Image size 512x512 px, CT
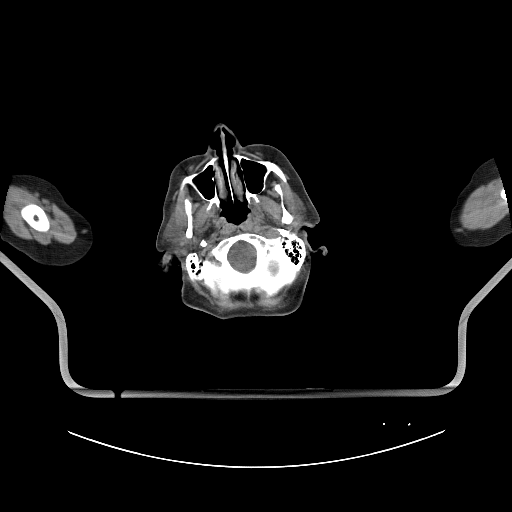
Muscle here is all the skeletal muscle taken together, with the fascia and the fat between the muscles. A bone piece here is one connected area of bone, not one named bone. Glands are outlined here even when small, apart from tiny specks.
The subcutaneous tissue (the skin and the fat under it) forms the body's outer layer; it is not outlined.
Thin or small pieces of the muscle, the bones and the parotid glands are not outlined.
Outlines (x, y in pixels):
bones 1: (279, 227) (295, 232) (303, 240) (306, 255) (294, 280) (276, 294) (266, 297) (263, 293) (252, 293) (247, 297) (231, 293) (224, 297) (213, 294) (201, 280) (190, 279) (185, 269) (188, 253) (196, 252) (201, 257) (224, 237) (240, 232) (273, 238) (279, 234) (276, 230), around a hole outlined by (239, 241) (242, 241) (248, 244) (250, 244) (254, 248) (255, 250) (255, 259) (254, 260) (254, 265) (253, 267) (248, 271) (242, 271) (241, 270) (239, 270) (235, 268) (230, 263) (228, 259) (228, 254) (229, 253) (229, 251) (230, 249) (234, 244) (235, 244)
bones 2: (223, 142) (230, 160) (232, 152) (235, 152) (255, 160) (272, 161) (282, 170) (287, 182) (271, 172) (266, 179) (265, 189) (257, 194) (258, 202) (251, 199) (248, 205) (243, 197) (242, 199) (235, 197) (232, 200) (228, 195) (226, 199) (220, 201) (220, 208) (214, 204) (207, 210) (208, 203) (189, 184) (186, 184) (182, 191) (180, 191) (179, 187) (185, 176) (199, 171) (215, 155) (219, 156) (219, 165) (222, 168) (224, 166) (221, 157); inner edges: (242, 160) (245, 160) (248, 162) (253, 162) (256, 164) (263, 166) (264, 172) (261, 180) (261, 188) (258, 192) (253, 192) (251, 191) (246, 184) (246, 181) (244, 178) (244, 176) (238, 172) (238, 166) (240, 169) (240, 171) (241, 172) (243, 171) (243, 167) (241, 164), then (209, 166) (211, 167) (211, 169) (212, 170) (212, 174) (210, 177) (210, 179) (213, 182) (214, 185) (213, 186) (213, 193) (211, 197) (206, 197) (200, 190) (200, 189) (198, 187) (197, 184) (194, 181) (194, 180) (198, 176) (199, 176) (200, 174) (204, 172)
bones 3: (29, 203) (34, 203) (40, 206) (43, 209) (43, 210) (47, 215) (47, 217) (49, 220) (49, 228) (47, 231) (45, 231) (43, 232) (42, 231) (38, 231) (36, 230) (34, 228) (30, 226) (22, 217) (21, 215) (21, 209) (22, 207) (23, 207) (25, 205)
bones 4: (277, 183) (280, 185) (280, 187) (283, 193) (283, 203) (284, 204) (284, 206) (285, 208) (293, 216) (293, 219) (289, 224) (284, 224) (281, 222) (281, 218) (282, 217) (282, 214) (283, 212) (282, 211) (282, 208) (280, 204) (280, 197) (278, 193) (274, 189) (274, 185)
bones 5: (185, 198) (187, 198) (190, 201) (190, 202) (191, 203) (191, 211) (192, 212) (192, 236) (190, 238) (187, 238) (185, 236) (185, 231) (186, 230) (186, 229) (187, 228) (187, 215) (186, 214) (186, 213) (185, 212) (185, 208) (184, 207) (184, 199)
parotid glands 1: (173, 213) (178, 223) (180, 225) (180, 226) (183, 230) (183, 233) (184, 234) (184, 237) (185, 238) (185, 241) (184, 243) (180, 247) (172, 247) (168, 245) (166, 243) (164, 243) (162, 241) (162, 238) (163, 237) (163, 234) (164, 233) (164, 227) (166, 225) (170, 216)
parotid glands 2: (292, 192) (294, 192) (297, 195) (298, 195) (301, 198) (304, 204) (304, 206) (306, 210) (305, 211) (305, 216) (304, 217) (304, 219) (303, 221) (298, 221) (298, 220) (296, 218) (296, 212) (295, 211) (295, 204) (294, 203) (294, 200) (293, 199)
brain: (239, 241) (242, 241) (248, 244) (250, 244) (254, 248) (255, 250) (255, 259) (254, 260) (254, 265) (253, 267) (248, 271) (242, 271) (241, 270) (239, 270) (235, 268) (230, 263) (228, 259) (228, 254) (229, 253) (229, 251) (230, 249) (234, 244) (235, 244)
muscle 1: (253, 149) (270, 154) (290, 174) (300, 195) (291, 192) (295, 218) (301, 222) (296, 232) (279, 226) (275, 228) (278, 234) (273, 237) (250, 231) (224, 236) (201, 256) (196, 251) (188, 252) (184, 257) (184, 268) (184, 257) (178, 248) (185, 243) (186, 238) (190, 239) (193, 236) (193, 212) (191, 201) (187, 197) (183, 199) (186, 215) (184, 233) (174, 213) (170, 215) (171, 194) (175, 180) (187, 165) (212, 156) (199, 170) (185, 175) (178, 189) (182, 192) (184, 187) (189, 185) (207, 203) (207, 211) (214, 205) (221, 209) (221, 215) (228, 222) (239, 224) (246, 219) (251, 200) (255, 203) (260, 201) (258, 194) (266, 189) (267, 179) (271, 173) (284, 183) (288, 182) (285, 173) (274, 161) (255, 159) (236, 152); inner edge: (277, 183) (280, 185) (280, 187) (283, 193) (283, 203) (284, 204) (284, 206) (285, 208) (293, 216) (293, 219) (289, 224) (284, 224) (281, 222) (281, 218) (282, 217) (282, 214) (283, 212) (282, 211) (282, 208) (280, 204) (280, 197) (278, 193) (274, 189) (274, 185)
muscle 2: (10, 184) (31, 188) (47, 196) (63, 207) (73, 219) (75, 223) (78, 232) (76, 240) (70, 245) (53, 245) (52, 246) (49, 246) (48, 245) (43, 245) (38, 243) (30, 242) (25, 240) (23, 238) (21, 238) (15, 235) (2, 221) (4, 204) (6, 200) (6, 196), around a hole outlined by (29, 203) (34, 203) (40, 206) (43, 209) (43, 210) (47, 215) (47, 217) (49, 220) (49, 228) (47, 231) (45, 231) (43, 232) (42, 231) (38, 231) (36, 230) (34, 228) (30, 226) (22, 217) (21, 215) (21, 209) (22, 207) (23, 207) (25, 205)
muscle 3: (499, 172) (501, 178) (501, 182) (502, 183) (502, 186) (500, 188) (499, 191) (499, 196) (503, 203) (507, 206) (509, 212) (509, 216) (503, 222) (487, 230) (484, 230) (480, 232) (479, 231) (468, 230) (465, 228) (458, 220) (458, 217) (464, 202) (472, 191) (490, 177)
muscle 4: (305, 260) (305, 271) (295, 295) (286, 306) (276, 309) (239, 308) (222, 312) (218, 311) (192, 294) (185, 274) (186, 271) (192, 282) (201, 281) (213, 295) (218, 294) (227, 298) (231, 294) (243, 294) (249, 298) (252, 294) (263, 294) (266, 298) (269, 298) (295, 280)
right arm: (14, 173) (33, 174) (50, 181) (60, 191) (64, 199) (72, 207) (83, 214) (90, 221) (93, 228) (94, 241) (90, 250) (84, 257) (75, 263) (65, 266) (42, 265) (35, 262) (24, 253) (17, 250) (0, 238) (4, 204) (6, 200) (8, 188)
head: (217, 123) (225, 124) (242, 145) (279, 149) (319, 214) (320, 221) (304, 229) (310, 245) (324, 245) (327, 253) (317, 250) (311, 255) (302, 303) (289, 314) (220, 319) (181, 301) (178, 266) (164, 272) (156, 264) (163, 254) (155, 243) (170, 173) (181, 160) (206, 151), around holes outlined by (228, 196) (230, 197) (230, 199) (232, 201) (235, 198) (237, 198) (239, 200) (242, 200) (243, 198) (246, 201) (247, 208) (248, 209) (246, 214) (246, 217) (245, 219) (239, 223) (233, 223) (228, 221) (221, 213) (222, 210) (221, 208) (221, 201) (222, 200) (226, 200) and by (242, 160) (245, 160) (248, 162) (253, 162) (256, 164) (263, 166) (264, 172) (261, 180) (261, 188) (258, 192) (253, 192) (251, 191) (246, 184) (246, 181) (244, 178) (244, 176) (238, 172) (238, 166) (240, 169) (240, 171) (241, 172) (243, 171) (243, 167) (241, 164) and by (209, 166) (211, 167) (211, 169) (212, 170) (212, 174) (210, 177) (210, 179) (213, 182) (214, 185) (213, 186) (213, 193) (211, 197) (206, 197) (200, 190) (200, 189) (198, 187) (197, 184) (194, 181) (194, 180) (198, 176) (199, 176) (200, 174) (204, 172) and by (217, 130) (218, 130) (220, 132) (219, 133) (219, 138) (220, 139) (220, 141) (222, 143) (221, 144) (222, 146) (221, 147) (221, 155) (220, 156) (222, 160) (222, 164) (223, 165) (222, 167) (220, 165) (220, 156) (217, 153) (216, 149) (212, 147) (211, 145) (212, 136) and by (223, 130) (226, 130) (229, 133) (229, 134) (231, 136) (233, 140) (233, 144) (231, 147) (231, 155) (230, 156) (231, 158) (230, 159) (229, 157) (229, 155) (228, 154) (228, 152) (227, 151) (227, 149) (226, 148) (226, 146) (225, 145) (225, 135) (223, 132)
left arm: (491, 157) (494, 159) (501, 178) (502, 186) (505, 192) (509, 218) (511, 222) (511, 233) (504, 236) (497, 242) (488, 246) (464, 247) (457, 244) (450, 237) (448, 233) (447, 225) (449, 213) (451, 208) (456, 202) (457, 195) (469, 181) (474, 170) (481, 163)